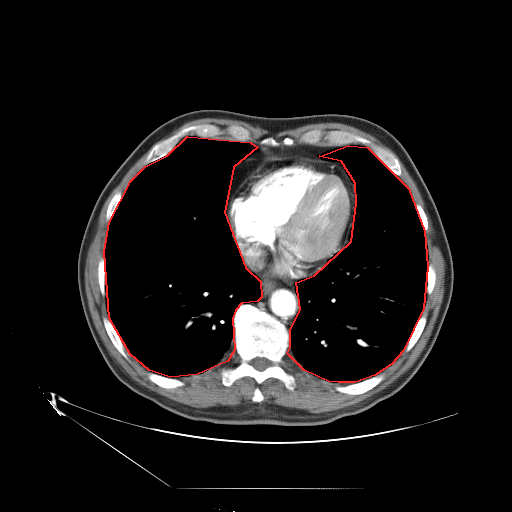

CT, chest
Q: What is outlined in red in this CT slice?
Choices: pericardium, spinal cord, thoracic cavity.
A: red: thoracic cavity.
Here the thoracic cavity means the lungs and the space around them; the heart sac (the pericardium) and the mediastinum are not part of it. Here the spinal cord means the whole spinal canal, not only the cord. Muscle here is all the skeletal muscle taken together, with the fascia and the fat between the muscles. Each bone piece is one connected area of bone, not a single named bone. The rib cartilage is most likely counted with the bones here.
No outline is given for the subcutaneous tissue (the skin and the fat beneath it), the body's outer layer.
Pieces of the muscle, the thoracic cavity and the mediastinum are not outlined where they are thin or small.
The thoracic cavity appears in 2 outlined pieces: piece 1: 187 136; 250 142; 257 147; 233 167; 224 212; 245 267; 260 281; 261 297; 257 301; 241 303; 235 310; 232 318; 234 350; 227 361; 197 374; 170 377; 149 370; 130 354; 109 318; 104 251; 109 222; 131 180; 145 166; 167 155; piece 2: 348 145; 367 147; 408 188; 424 231; 427 266; 423 308; 403 350; 391 364; 374 375; 355 382; 338 382; 328 381; 304 370; 287 353; 290 347; 290 330; 300 309; 296 282; 314 275; 351 241; 356 203; 355 183; 341 161; 319 156. The torso is outlined by 200 109; 266 117; 348 114; 381 125; 404 146; 441 218; 453 261; 453 290; 429 354; 411 379; 393 395; 364 412; 320 426; 221 425; 171 413; 132 392; 110 370; 88 327; 78 289; 77 260; 88 219; 108 180; 150 132; 175 116. The bones appear in 13 outlined pieces: piece 1: 241 304; 251 304; 285 325; 289 332; 289 347; 280 365; 286 372; 293 375; 295 379; 293 390; 287 389; 280 380; 274 377; 269 377; 260 384; 250 376; 243 376; 229 386; 222 383; 221 370; 232 368; 240 361; 234 346; 233 318, around a hole outlined by 256 357; 263 357; 264 358; 266 358; 268 360; 269 360; 271 362; 271 365; 270 365; 269 366; 268 366; 266 368; 265 368; 263 370; 258 370; 257 369; 256 369; 253 366; 252 366; 249 363; 249 362; 252 359; 253 359; piece 2: 313 129; 320 129; 323 131; 345 130; 369 139; 375 144; 392 153; 398 159; 401 169; 401 176; 398 176; 387 168; 367 146; 362 144; 332 146; 326 145; 324 141; 321 141; 317 144; 299 143; 298 140; 300 136; 303 133; piece 3: 196 124; 214 124; 222 129; 232 124; 239 125; 244 127; 250 132; 251 138; 249 141; 233 140; 225 132; 221 134; 217 139; 200 137; 196 135; 187 135; 183 137; 167 154; 144 165; 144 161; 148 153; 155 144; 173 135; 183 127; piece 4: 379 373; 383 373; 384 374; 384 378; 374 387; 363 393; 361 393; 360 394; 348 394; 347 393; 343 393; 342 392; 340 392; 336 390; 335 388; 337 386; 347 385; 348 384; 355 383; 356 382; 358 382; 359 381; 367 379; piece 5: 103 317; 107 317; 110 320; 120 340; 122 342; 123 345; 125 347; 126 350; 128 352; 128 360; 126 359; 118 351; 118 350; 114 346; 113 343; 111 341; 106 331; 106 329; 104 326; 104 323; 103 322; piece 6: 149 371; 153 372; 154 373; 156 373; 157 374; 159 374; 162 376; 165 376; 166 377; 169 377; 170 378; 177 378; 183 381; 184 382; 184 384; 182 386; 178 386; 174 388; 165 388; 164 387; 161 387; 151 381; 148 378; 147 373; piece 7: 423 312; 425 312; 427 314; 427 319; 426 320; 426 323; 424 326; 424 328; 416 342; 413 345; 413 346; 408 351; 406 352; 404 351; 404 349; 406 346; 408 338; 412 330; 414 328; 415 324; 417 322; 417 321; 419 319; piece 8: 269 136; 271 136; 273 137; 278 142; 281 142; 283 138; 285 137; 290 137; 294 140; 294 144; 293 145; 281 145; 280 146; 270 146; 269 145; 262 145; 260 144; 259 142; 262 139; 266 137; 268 137; piece 9: 118 191; 121 191; 122 192; 122 195; 121 196; 120 201; 112 217; 110 219; 110 220; 108 222; 107 222; 106 221; 106 212; 107 211; 107 208; 108 207; 108 205; 110 202; 110 200; 112 198; 114 194; piece 10: 430 263; 431 264; 432 264; 432 265; 435 270; 435 283; 434 284; 434 286; 433 287; 433 289; 432 290; 431 293; 429 295; 428 295; 426 293; 426 286; 427 285; 427 276; 426 275; 427 274; 427 267; 428 266; 428 264; 429 264; piece 11: 102 256; 104 260; 104 267; 105 268; 104 269; 105 270; 105 272; 104 273; 104 289; 105 290; 105 296; 103 296; 101 294; 101 291; 100 290; 100 287; 99 286; 99 282; 98 281; 98 263; 99 262; 99 260; 100 258; piece 12: 416 203; 419 204; 422 207; 422 208; 426 215; 426 217; 427 218; 427 230; 426 231; 425 231; 424 230; 424 229; 420 222; 420 220; 419 219; 419 217; 418 216; 418 214; 417 213; 417 209; 416 208; piece 13: 257 387; 258 387; 259 388; 259 389; 260 390; 260 391; 261 392; 261 393; 262 394; 262 395; 263 396; 263 399; 260 402; 254 402; 252 400; 252 397; 253 396; 253 395; 254 394; 254 390. The spinal cord is outlined by 256 357; 263 357; 264 358; 266 358; 268 360; 269 360; 271 362; 271 365; 270 365; 269 366; 268 366; 266 368; 265 368; 263 370; 258 370; 257 369; 256 369; 253 366; 252 366; 249 363; 249 362; 252 359; 253 359. The mediastinum appears in 3 outlined pieces: piece 1: 251 142; 270 147; 293 146; 295 144; 336 147; 318 156; 323 160; 341 162; 345 167; 346 173; 335 164; 301 155; 292 154; 286 157; 265 158; 230 197; 226 214; 227 192; 231 186; 234 167; 237 162; 258 150; 258 147; piece 2: 253 272; 260 274; 263 277; 270 279; 297 280; 295 282; 294 286; 295 287; 295 293; 299 302; 299 309; 295 315; 289 331; 286 325; 279 319; 265 310; 261 309; 251 303; 252 302; 257 302; 262 297; 262 285; 261 281; 259 277; piece 3: 351 181; 354 183; 355 186; 355 190; 354 191; 355 203; 354 204; 354 209; 353 210; 352 225; 349 232; 350 241; 347 245; 342 249; 344 246; 344 244; 346 243; 348 232; 352 223; 352 212; 354 207; 354 188; 353 185; 351 183. The muscle appears in 2 outlined pieces: piece 1: 149 150; 143 161; 144 166; 123 192; 118 190; 113 194; 107 205; 105 221; 108 224; 103 256; 97 263; 97 281; 100 294; 105 297; 108 317; 103 316; 102 322; 110 341; 126 360; 129 360; 129 354; 146 368; 147 378; 151 382; 165 389; 182 387; 185 382; 178 378; 197 375; 227 362; 234 351; 239 358; 238 363; 220 370; 221 383; 226 387; 243 377; 252 378; 258 385; 274 378; 287 390; 293 391; 296 379; 281 365; 287 354; 304 371; 321 379; 351 382; 337 385; 334 388; 340 393; 360 395; 378 385; 385 378; 381 372; 403 351; 408 352; 422 334; 428 319; 428 314; 423 311; 426 294; 429 296; 432 293; 436 283; 436 270; 432 263; 428 263; 425 237; 428 218; 400 178; 402 169; 399 159; 423 199; 444 260; 444 292; 440 309; 431 334; 413 364; 384 389; 358 403; 319 413; 261 402; 264 396; 258 386; 253 390; 253 402; 197 408; 170 399; 133 380; 111 356; 94 325; 88 307; 84 270; 105 201; 129 169; piece 2: 200 118; 228 118; 240 120; 268 130; 271 134; 312 123; 343 123; 374 136; 393 151; 398 158; 392 152; 369 138; 345 129; 323 130; 320 128; 313 128; 303 132; 297 140; 298 143; 295 143; 295 140; 290 136; 285 136; 281 141; 278 141; 271 135; 262 138; 258 142; 250 141; 252 138; 251 132; 239 124; 232 123; 222 128; 214 123; 196 123; 183 126; 173 134; 157 142; 184 123. The pericardium is outlined by 292 155; 332 164; 344 171; 353 188; 351 223; 347 232; 345 243; 343 244; 341 249; 328 259; 322 267; 299 279; 270 278; 251 270; 246 265; 244 258; 234 239; 227 216; 227 209; 230 199; 236 193; 238 187; 265 159; 286 158.